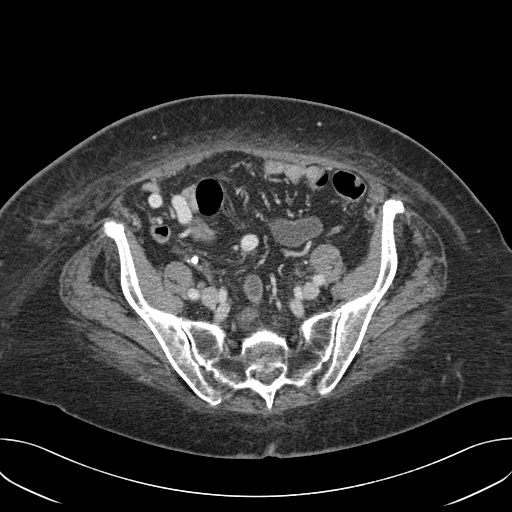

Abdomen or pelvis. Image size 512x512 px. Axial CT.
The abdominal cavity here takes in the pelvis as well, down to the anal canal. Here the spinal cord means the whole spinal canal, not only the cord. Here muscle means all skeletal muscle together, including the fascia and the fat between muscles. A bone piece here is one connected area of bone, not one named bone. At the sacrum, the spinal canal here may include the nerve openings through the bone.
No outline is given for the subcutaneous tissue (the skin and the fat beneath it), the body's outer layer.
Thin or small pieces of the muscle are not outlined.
The muscle is outlined by (232, 140) (265, 147) (288, 149) (296, 152) (332, 156) (343, 161) (368, 167) (411, 196) (419, 205) (420, 212) (431, 224) (441, 239) (447, 263) (448, 283) (444, 294) (438, 301) (441, 305) (439, 309) (435, 312) (434, 318) (429, 324) (429, 327) (425, 334) (427, 340) (417, 349) (414, 350) (407, 359) (398, 361) (396, 366) (379, 373) (373, 379) (367, 381) (344, 397) (322, 401) (315, 405) (310, 404) (298, 406) (284, 411) (282, 415) (274, 414) (267, 417) (264, 417) (259, 414) (248, 414) (234, 411) (227, 411) (223, 414) (209, 414) (201, 413) (194, 410) (191, 411) (183, 403) (177, 401) (166, 393) (136, 381) (113, 366) (109, 366) (103, 361) (91, 357) (90, 355) (92, 351) (82, 345) (81, 341) (78, 339) (78, 337) (82, 337) (83, 334) (76, 332) (72, 323) (74, 317) (64, 306) (59, 298) (58, 277) (62, 265) (73, 252) (84, 242) (87, 233) (87, 221) (92, 211) (96, 206) (104, 201) (112, 193) (120, 182) (124, 180) (128, 175) (135, 173) (142, 167) (155, 164) (162, 159) (167, 158) (176, 153) (184, 152) (187, 150) (191, 150) (219, 141); inner edge: (228, 151) (375, 184) (361, 261) (347, 271) (328, 242) (309, 254) (340, 306) (378, 276) (383, 203) (404, 205) (394, 278) (325, 395) (314, 379) (270, 409) (249, 388) (211, 406) (122, 292) (102, 234) (120, 222) (144, 298) (187, 317) (192, 271) (155, 267) (121, 200). The bones are outlined by (389, 198) (405, 209) (393, 222) (397, 269) (358, 351) (327, 394) (314, 379) (284, 384) (270, 409) (249, 388) (211, 406) (189, 387) (126, 300) (116, 243) (102, 234) (107, 220) (123, 224) (151, 306) (218, 325) (233, 350) (260, 327) (293, 346) (307, 318) (373, 287) with holes at (278, 368) (280, 368) (282, 370) (282, 372) (280, 374) (278, 374) (269, 384) (263, 383) (259, 379) (258, 379) (256, 377) (253, 377) (251, 375) (251, 373) (253, 371) (256, 371) (257, 370) (264, 371) (267, 374) (273, 373) (275, 372) and at (225, 386) (226, 387) (227, 387) (228, 388) (229, 388) (230, 389) (231, 389) (232, 390) (231, 391) (227, 391) (224, 394) (223, 394) (223, 392) (222, 391) (222, 389) (221, 388) (222, 387) (224, 387). The abdominal cavity is outlined by (228, 151) (353, 170) (375, 184) (370, 202) (376, 213) (361, 261) (347, 271) (328, 242) (309, 254) (314, 269) (331, 277) (339, 306) (303, 320) (293, 345) (260, 326) (233, 349) (218, 324) (187, 317) (183, 299) (192, 271) (179, 260) (155, 267) (121, 201) (129, 186). The torso is outlined by (224, 93) (293, 97) (334, 105) (369, 116) (421, 143) (466, 183) (494, 217) (511, 248) (510, 397) (481, 400) (405, 432) (354, 447) (287, 458) (266, 456) (245, 459) (203, 456) (155, 446) (92, 425) (56, 406) (0, 393) (0, 208) (35, 173) (104, 126) (163, 102). The spinal cord is outlined by (278, 368) (280, 368) (282, 370) (282, 372) (280, 374) (278, 374) (269, 384) (263, 383) (259, 379) (258, 379) (256, 377) (253, 377) (251, 375) (251, 373) (253, 371) (256, 371) (257, 370) (264, 371) (267, 374) (273, 373) (275, 372).